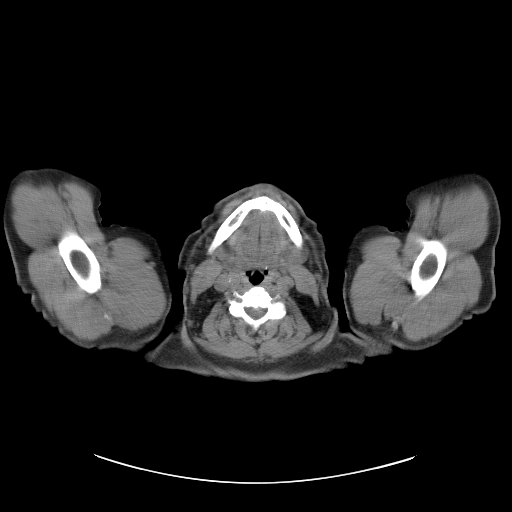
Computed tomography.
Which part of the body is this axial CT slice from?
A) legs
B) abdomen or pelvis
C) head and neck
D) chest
Answer: C) head and neck
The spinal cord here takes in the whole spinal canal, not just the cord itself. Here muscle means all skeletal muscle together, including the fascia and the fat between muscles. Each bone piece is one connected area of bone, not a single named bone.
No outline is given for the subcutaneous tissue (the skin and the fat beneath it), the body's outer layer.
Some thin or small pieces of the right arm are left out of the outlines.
Outlines:
spinal cord: (248, 307) (251, 307) (252, 308) (254, 308) (255, 309) (256, 309) (257, 308) (264, 308) (265, 309) (266, 309) (266, 311) (265, 312) (265, 313) (262, 316) (261, 316) (258, 318) (253, 318) (252, 317) (251, 317) (246, 312) (246, 311) (245, 310) (245, 308) (247, 308)
right arm: (43, 166) (67, 169) (96, 184) (102, 193) (99, 211) (104, 226) (113, 223) (138, 226) (159, 240) (172, 289) (172, 304) (163, 330) (146, 347) (150, 348) (132, 354) (116, 349) (79, 347) (35, 312) (30, 305) (30, 296) (16, 285) (3, 229) (6, 197) (16, 172)
muscle 1: (259, 187) (271, 188) (287, 199) (299, 214) (301, 224) (314, 240) (321, 268) (321, 285) (319, 288) (319, 293) (321, 295) (321, 303) (323, 309) (327, 314) (327, 317) (330, 322) (328, 328) (321, 335) (320, 338) (310, 344) (305, 349) (294, 355) (283, 358) (277, 362) (264, 364) (235, 362) (227, 358) (212, 355) (196, 344) (187, 327) (190, 312) (189, 281) (191, 273) (188, 262) (190, 250) (198, 238) (218, 217) (222, 208) (228, 202) (252, 189) with holes at (265, 270) (262, 279) (257, 283) (271, 296) (279, 294) (285, 304) (286, 313) (280, 319) (268, 319) (254, 330) (241, 317) (229, 313) (227, 299) (232, 297) (234, 290) (242, 294) (257, 284) (250, 280) (250, 276) (246, 273) (248, 271) (252, 274) (256, 271) (262, 273) and at (261, 195) (268, 196) (278, 201) (287, 209) (296, 222) (301, 234) (301, 247) (298, 248) (294, 244) (273, 212) (269, 210) (262, 211) (259, 209) (252, 209) (248, 212) (240, 225) (210, 254) (208, 254) (207, 250) (217, 229) (223, 221) (242, 202) (247, 199)
muscle 2: (26, 177) (35, 180) (49, 179) (54, 182) (73, 178) (82, 182) (93, 193) (96, 224) (107, 238) (132, 237) (150, 250) (154, 268) (166, 296) (166, 307) (159, 320) (137, 332) (83, 340) (68, 331) (51, 314) (29, 280) (29, 249) (16, 233) (11, 219) (13, 189), around a hole outlined by (68, 229) (75, 231) (84, 240) (86, 244) (94, 253) (99, 263) (100, 266) (101, 287) (100, 289) (95, 293) (89, 294) (78, 286) (76, 281) (73, 278) (66, 267) (63, 261) (63, 259) (59, 253) (57, 247) (57, 243) (61, 237) (62, 233) (65, 230)
muscle 3: (471, 182) (478, 183) (487, 192) (491, 215) (478, 301) (447, 328) (419, 341) (411, 341) (401, 334) (358, 323) (350, 302) (350, 286) (355, 269) (362, 260) (360, 244) (370, 237) (381, 234) (403, 239) (412, 225) (415, 201) (420, 194) (429, 191) (444, 192), around a hole outlined by (422, 238) (423, 239) (438, 239) (440, 240) (447, 249) (447, 255) (446, 256) (445, 265) (436, 284) (428, 294) (422, 299) (417, 300) (414, 296) (414, 293) (411, 288) (410, 283) (408, 280) (408, 277) (410, 275) (411, 267) (413, 264) (413, 262) (422, 248) (421, 244)
head and neck: (256, 182) (269, 182) (279, 186) (316, 222) (326, 246) (330, 274) (328, 298) (331, 303) (337, 303) (339, 310) (337, 330) (327, 347) (283, 364) (249, 365) (212, 358) (188, 347) (179, 333) (184, 273) (178, 271) (177, 260) (185, 237) (199, 226) (201, 219) (217, 201), around a hole outlined by (265, 270) (266, 271) (266, 272) (265, 273) (264, 272) (263, 273) (263, 277) (262, 278) (262, 279) (259, 282) (258, 282) (257, 283) (253, 283) (250, 280) (250, 276) (246, 273) (248, 271) (249, 271) (252, 274) (256, 271) (258, 271) (259, 272) (262, 273)
bones 1: (68, 229) (75, 231) (84, 240) (86, 244) (94, 253) (99, 263) (100, 266) (101, 287) (100, 289) (95, 293) (89, 294) (78, 286) (76, 281) (73, 278) (66, 267) (63, 261) (63, 259) (59, 253) (57, 247) (57, 243) (61, 237) (62, 233) (65, 230)
bones 2: (261, 195) (268, 196) (278, 201) (287, 209) (296, 222) (301, 234) (301, 247) (298, 248) (294, 244) (273, 212) (269, 210) (262, 211) (259, 209) (252, 209) (248, 212) (240, 225) (210, 254) (208, 254) (207, 250) (217, 229) (223, 221) (242, 202) (247, 199)
bones 3: (422, 238) (423, 239) (438, 239) (440, 240) (447, 249) (447, 255) (446, 256) (445, 265) (436, 284) (428, 294) (422, 299) (417, 300) (414, 296) (414, 293) (411, 288) (410, 283) (408, 280) (408, 277) (410, 275) (411, 267) (413, 264) (413, 262) (422, 248) (421, 244)
bones 4: (257, 284) (261, 285) (271, 296) (279, 294) (280, 299) (285, 304) (286, 313) (280, 319) (268, 319) (257, 330) (254, 330) (241, 317) (235, 317) (229, 313) (228, 311) (229, 304) (227, 302) (227, 299) (232, 297) (234, 290) (240, 294) (242, 294) (253, 285); inner edge: (248, 307) (251, 307) (252, 308) (254, 308) (255, 309) (256, 309) (257, 308) (264, 308) (265, 309) (266, 309) (266, 311) (265, 312) (265, 313) (262, 316) (261, 316) (258, 318) (253, 318) (252, 317) (251, 317) (246, 312) (246, 311) (245, 310) (245, 308) (247, 308)
left arm: (466, 169) (480, 172) (491, 182) (501, 212) (495, 247) (496, 297) (490, 309) (466, 320) (440, 343) (419, 351) (386, 347) (357, 335) (348, 326) (342, 296) (349, 237) (358, 228) (373, 223) (385, 225) (390, 230) (405, 228) (409, 210) (404, 199) (409, 189) (438, 175)
torso: (178, 317) (179, 337) (188, 348) (228, 363) (265, 366) (304, 359) (328, 347) (338, 330) (339, 321) (357, 336) (393, 349) (394, 353) (367, 358) (362, 365) (354, 364) (345, 369) (287, 381) (240, 382) (206, 377) (181, 370) (163, 369) (142, 361) (140, 353) (161, 341)